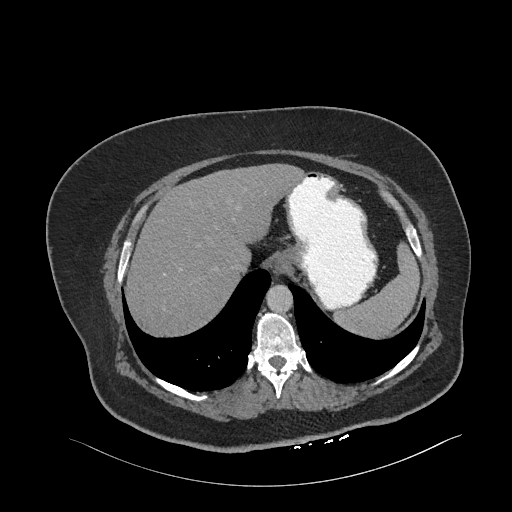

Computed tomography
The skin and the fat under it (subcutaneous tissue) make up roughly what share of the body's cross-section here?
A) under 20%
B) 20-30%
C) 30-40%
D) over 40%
Answer: C) 30-40%
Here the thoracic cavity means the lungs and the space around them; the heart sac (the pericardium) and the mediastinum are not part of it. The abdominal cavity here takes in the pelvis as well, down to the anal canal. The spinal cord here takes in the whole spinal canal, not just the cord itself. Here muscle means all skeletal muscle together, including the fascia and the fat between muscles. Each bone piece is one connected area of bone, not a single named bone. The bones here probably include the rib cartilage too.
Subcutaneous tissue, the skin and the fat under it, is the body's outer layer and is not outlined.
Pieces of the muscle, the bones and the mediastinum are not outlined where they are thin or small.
torso: 299 105; 351 108; 390 119; 423 140; 445 168; 471 246; 463 361; 457 378; 430 404; 393 422; 310 443; 246 452; 224 453; 173 443; 117 419; 94 392; 84 347; 62 309; 52 278; 45 218; 58 180; 86 150; 132 126; 190 113
bones 1: 266 312; 283 316; 292 324; 298 341; 313 369; 313 373; 309 373; 299 364; 296 371; 299 376; 296 377; 292 374; 284 382; 279 398; 276 397; 272 383; 259 374; 255 365; 250 371; 246 371; 248 355; 255 344; 254 331; 256 324; inner edge: 274 356; 280 356; 281 357; 282 357; 283 358; 284 358; 285 359; 285 362; 284 363; 284 364; 279 369; 277 369; 275 367; 274 367; 269 362; 269 359; 270 358; 271 358; 272 357; 273 357
bones 2: 381 188; 388 191; 393 195; 402 207; 404 218; 409 221; 414 226; 417 232; 421 246; 421 249; 422 250; 422 257; 421 260; 417 257; 406 235; 404 229; 404 224; 405 222; 401 219; 397 212; 388 202; 386 198; 382 195; 382 190
bones 3: 419 339; 420 340; 420 347; 417 353; 415 355; 413 359; 402 370; 401 370; 393 376; 382 381; 380 383; 376 385; 374 385; 373 386; 371 385; 371 383; 376 380; 382 374; 385 373; 387 371; 391 369; 398 362; 399 362; 415 346
bones 4: 155 376; 157 376; 174 385; 179 386; 190 392; 196 393; 197 394; 206 394; 207 395; 207 398; 200 401; 195 401; 194 400; 191 400; 190 399; 182 397; 179 395; 177 395; 165 389; 159 384; 158 384; 153 379; 153 378
bones 5: 128 237; 131 239; 133 243; 133 246; 132 247; 131 253; 129 256; 128 263; 123 276; 123 281; 120 288; 121 289; 121 292; 120 292; 119 291; 119 285; 117 281; 118 263; 120 258; 120 254; 121 253; 123 242; 124 240
bones 6: 144 204; 148 204; 148 206; 147 207; 147 208; 145 210; 145 212; 144 213; 143 216; 135 224; 134 224; 133 225; 132 222; 133 221; 133 219; 134 218; 134 216; 135 215; 135 214; 138 211; 138 210
abdominal cavity: 250 155; 305 158; 376 184; 379 198; 398 215; 421 266; 424 297; 405 328; 385 339; 351 333; 327 317; 302 287; 281 273; 263 268; 244 275; 219 313; 191 333; 154 337; 138 327; 130 314; 122 285; 149 205; 162 192; 198 170
mediastinum: 270 272; 275 272; 278 274; 281 274; 291 281; 287 285; 293 296; 293 311; 294 312; 296 329; 293 324; 283 315; 271 311; 266 311; 259 317; 255 324; 254 329; 254 324; 256 316; 260 309; 262 300; 270 285; 271 281
thoracic cavity 1: 257 269; 269 272; 270 281; 254 319; 254 344; 247 355; 245 369; 233 382; 219 389; 193 392; 155 375; 146 367; 136 353; 126 328; 121 297; 122 291; 129 314; 142 332; 154 338; 177 338; 191 334; 213 320; 224 308; 244 276
thoracic cavity 2: 290 282; 302 288; 321 312; 334 324; 351 334; 371 340; 385 340; 399 334; 416 317; 424 298; 425 314; 419 338; 414 346; 399 361; 380 375; 353 383; 334 381; 321 375; 312 367; 306 352; 299 341; 296 330; 294 296; 288 285
muscle: 277 148; 323 153; 332 156; 338 156; 347 160; 370 166; 376 169; 382 174; 388 175; 392 178; 417 202; 426 214; 429 221; 429 226; 432 230; 434 237; 434 248; 437 258; 438 276; 439 277; 438 290; 435 300; 434 311; 435 315; 437 317; 437 321; 439 325; 439 328; 442 332; 443 338; 441 343; 436 350; 429 355; 424 360; 422 364; 407 377; 383 392; 369 397; 353 406; 338 411; 327 411; 324 409; 319 411; 300 411; 299 410; 289 410; 288 409; 284 409; 280 411; 268 410; 265 413; 260 414; 255 418; 250 419; 236 419; 235 418; 230 421; 219 421; 172 405; 150 393; 134 380; 127 376; 121 375; 115 370; 114 366; 115 338; 116 337; 114 328; 115 323; 110 311; 110 307; 105 297; 105 293; 102 285; 102 278; 103 277; 102 267; 104 262; 104 253; 110 242; 112 233; 116 225; 129 205; 133 201; 134 198; 141 191; 162 176; 179 167; 210 157; 215 157; 223 154; 229 154; 241 151; 249 151; 259 149; 276 149, around a hole outlined by 250 155; 296 156; 353 173; 375 183; 379 198; 389 207; 381 188; 401 205; 419 238; 425 299; 420 347; 402 370; 372 386; 379 375; 343 383; 314 369; 309 373; 299 364; 299 376; 292 374; 277 398; 274 386; 255 365; 229 385; 197 391; 207 395; 200 401; 177 395; 153 379; 155 375; 141 361; 129 337; 117 281; 123 242; 128 237; 135 241; 142 221; 133 225; 134 216; 188 175
spinal cord: 274 356; 280 356; 281 357; 282 357; 283 358; 284 358; 285 359; 285 362; 284 363; 284 364; 279 369; 277 369; 275 367; 274 367; 269 362; 269 359; 270 358; 271 358; 272 357; 273 357